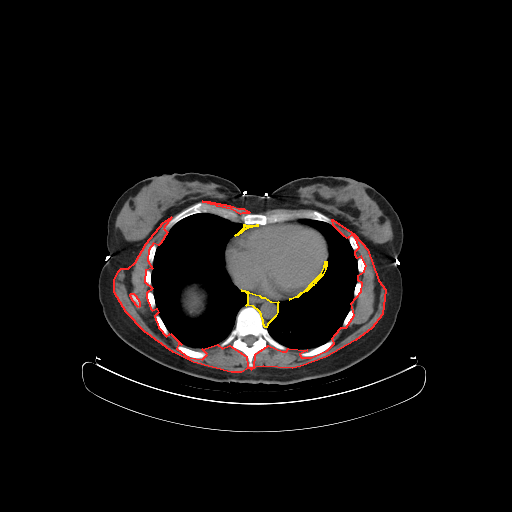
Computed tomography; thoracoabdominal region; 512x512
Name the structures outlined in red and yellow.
red: muscle; yellow: mediastinum.
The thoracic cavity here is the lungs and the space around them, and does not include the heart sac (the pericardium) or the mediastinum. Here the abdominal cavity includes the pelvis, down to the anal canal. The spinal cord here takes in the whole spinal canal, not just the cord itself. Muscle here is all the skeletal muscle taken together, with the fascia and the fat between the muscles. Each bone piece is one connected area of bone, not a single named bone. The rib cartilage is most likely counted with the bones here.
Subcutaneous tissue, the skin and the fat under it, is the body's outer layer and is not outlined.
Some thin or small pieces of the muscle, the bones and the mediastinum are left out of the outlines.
The muscle appears in 2 outlined pieces: piece 1: [[171,217],[163,228],[167,232],[160,243],[158,245],[153,243],[148,250],[147,260],[152,268],[145,270],[144,281],[152,288],[146,293],[146,297],[150,308],[152,310],[156,308],[158,312],[154,316],[158,327],[166,336],[170,333],[181,344],[178,344],[176,348],[188,357],[202,359],[207,354],[202,349],[217,344],[222,348],[229,345],[246,356],[247,366],[251,369],[254,367],[255,354],[268,345],[282,351],[286,351],[288,348],[307,350],[299,354],[301,357],[311,357],[327,350],[334,343],[332,338],[335,334],[341,327],[346,327],[354,315],[351,303],[361,291],[362,283],[358,280],[358,275],[364,271],[366,265],[361,256],[357,258],[355,255],[355,251],[359,247],[355,237],[352,234],[347,238],[344,236],[333,225],[332,219],[354,234],[367,249],[378,280],[385,289],[382,314],[371,328],[355,340],[325,357],[300,366],[292,368],[263,366],[248,368],[241,372],[231,372],[193,362],[173,352],[144,331],[126,312],[114,292],[114,280],[118,271],[121,268],[128,268],[135,262],[146,243],[163,222]], around a hole outlined by [[131,293],[133,293],[136,296],[136,297],[138,299],[138,300],[139,301],[139,306],[138,307],[135,304],[135,303],[132,300],[132,299],[131,298],[131,297],[130,296],[130,294]]; piece 2: [[202,201],[209,201],[210,202],[214,202],[215,203],[219,203],[220,204],[225,204],[226,205],[229,205],[230,206],[233,206],[238,208],[243,208],[249,212],[248,213],[242,213],[240,214],[231,209],[217,206],[214,204],[211,204],[210,203],[207,203]]. The mediastinum appears in 3 outlined pieces: piece 1: [[241,290],[247,291],[248,292],[259,295],[261,297],[264,297],[270,301],[278,302],[277,303],[277,312],[275,316],[267,324],[266,327],[265,327],[263,324],[263,320],[262,319],[261,314],[259,311],[253,306],[246,305],[248,303],[248,294],[245,291]]; piece 2: [[325,261],[326,261],[326,266],[325,267],[325,269],[322,275],[315,282],[315,283],[314,283],[313,285],[312,285],[306,291],[300,294],[297,297],[289,299],[299,294],[301,292],[304,291],[309,286],[309,285],[321,273],[324,267],[324,265],[325,264]]; piece 3: [[244,224],[245,225],[258,225],[256,225],[255,226],[252,226],[251,227],[248,227],[247,228],[246,228],[245,229],[244,229],[240,233],[239,233],[237,235],[235,235],[236,234],[237,234],[244,227]]. The thoracic cavity appears in 2 outlined pieces: piece 1: [[199,213],[210,213],[243,224],[243,227],[227,241],[224,250],[224,266],[231,281],[247,294],[247,303],[238,310],[234,326],[226,338],[209,347],[194,349],[182,344],[168,330],[160,316],[153,293],[152,269],[157,247],[168,231],[180,220]]; inner edge: [[194,282],[200,285],[200,286],[206,293],[206,295],[207,296],[206,298],[206,300],[205,301],[205,308],[202,311],[202,312],[197,316],[197,317],[188,316],[186,314],[184,309],[182,307],[182,303],[181,302],[181,293],[186,287],[186,286]]; piece 2: [[299,219],[311,219],[332,225],[348,240],[354,251],[358,272],[350,308],[341,326],[329,340],[309,349],[287,347],[274,339],[267,329],[268,324],[278,312],[278,303],[297,298],[306,292],[323,275],[327,266],[330,252],[326,238],[319,230],[302,223]]. The spinal cord is outlined by [[247,335],[253,335],[255,337],[256,337],[256,339],[253,342],[253,343],[251,345],[248,345],[243,340],[243,337],[244,337],[245,336],[246,336]]. The abdominal cavity is outlined by [[194,282],[200,285],[200,286],[206,293],[206,295],[207,296],[206,298],[206,300],[205,301],[205,308],[202,311],[202,312],[197,316],[197,317],[188,316],[186,314],[184,309],[182,307],[182,303],[181,302],[181,293],[186,287],[186,286]]. The pericardium is outlined by [[294,223],[310,226],[319,231],[325,238],[328,248],[328,257],[327,261],[324,261],[320,273],[304,290],[288,299],[278,301],[270,300],[264,296],[238,287],[228,273],[225,264],[225,252],[230,241],[235,236],[248,228],[256,226],[267,226],[270,224]]. The bones appear in 11 outlined pieces: piece 1: [[197,202],[203,202],[231,210],[240,215],[249,213],[267,215],[315,210],[330,218],[332,224],[311,218],[291,219],[265,225],[245,224],[241,221],[232,221],[214,213],[199,212],[180,219],[168,230],[165,230],[164,228],[167,223],[176,214]]; piece 2: [[245,306],[255,308],[260,314],[262,324],[270,336],[287,348],[286,350],[282,350],[268,344],[254,354],[252,358],[253,367],[251,368],[248,366],[247,356],[241,350],[234,348],[229,344],[222,347],[220,346],[220,343],[227,338],[234,328],[239,310]]; inner edge: [[247,335],[253,335],[255,337],[256,337],[256,339],[253,342],[253,343],[251,345],[248,345],[243,340],[243,337],[244,337],[245,336],[246,336]]; piece 3: [[178,345],[183,345],[188,348],[190,348],[191,349],[193,349],[194,350],[200,350],[201,351],[204,351],[206,353],[206,354],[205,355],[205,356],[202,358],[196,358],[195,357],[191,357],[190,356],[188,356],[187,355],[182,353],[177,348],[177,346]]; piece 4: [[331,339],[333,339],[333,343],[327,349],[322,351],[320,353],[318,353],[317,354],[315,354],[311,356],[301,356],[300,355],[300,354],[302,352],[304,352],[310,349],[312,349],[318,346],[320,346],[324,344],[326,342],[329,341]]; piece 5: [[158,314],[159,315],[159,316],[161,318],[161,319],[162,320],[162,321],[163,322],[164,325],[166,327],[167,330],[169,332],[169,334],[168,335],[166,335],[161,330],[161,329],[159,327],[159,326],[158,325],[158,324],[155,319],[155,316]]; piece 6: [[153,244],[155,244],[157,246],[156,247],[156,249],[155,250],[155,253],[154,254],[154,256],[153,257],[153,261],[152,262],[152,264],[150,264],[149,263],[149,261],[148,260],[148,255],[149,254],[149,250],[150,249],[150,248],[151,247],[151,246]]; piece 7: [[149,291],[152,291],[152,293],[153,294],[153,296],[154,297],[154,300],[155,301],[155,307],[154,308],[153,308],[152,309],[151,308],[151,307],[150,306],[150,305],[149,304],[149,303],[148,302],[148,298],[147,297],[147,293]]; piece 8: [[351,308],[352,308],[353,309],[353,315],[352,316],[351,319],[347,324],[347,325],[346,326],[342,326],[342,324],[343,323],[343,321],[344,320],[345,317],[347,315],[347,314],[348,313],[349,310]]; piece 9: [[360,257],[361,257],[363,259],[363,260],[364,261],[364,264],[365,265],[364,266],[364,269],[363,270],[363,271],[361,273],[360,272],[359,272],[358,271],[358,265],[357,264],[357,259],[358,258],[359,258]]; piece 10: [[350,235],[352,235],[354,237],[354,238],[355,239],[355,240],[357,243],[357,246],[358,247],[356,250],[354,250],[353,249],[353,248],[352,247],[352,246],[351,245],[351,244],[350,243],[350,242],[348,239],[348,238]]; piece 11: [[131,293],[133,293],[136,296],[136,297],[138,299],[138,300],[139,301],[139,306],[138,307],[135,304],[135,303],[132,300],[132,299],[131,298],[131,297],[130,296],[130,294]]. The torso is outlined by [[186,172],[218,175],[242,193],[260,196],[269,196],[291,180],[320,175],[350,177],[381,193],[403,227],[395,260],[402,278],[401,306],[383,343],[331,375],[253,384],[188,375],[124,342],[106,321],[98,297],[99,273],[109,254],[109,213],[136,182]].